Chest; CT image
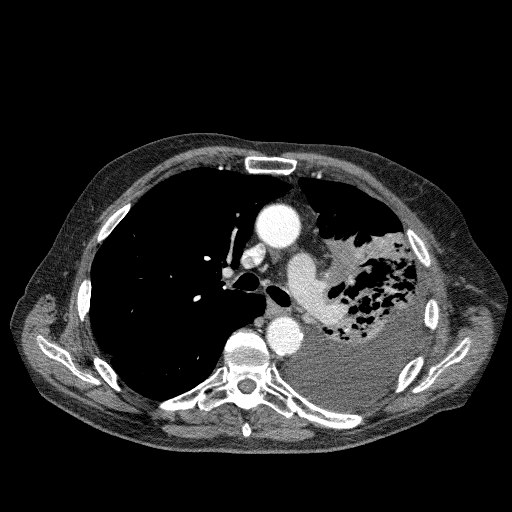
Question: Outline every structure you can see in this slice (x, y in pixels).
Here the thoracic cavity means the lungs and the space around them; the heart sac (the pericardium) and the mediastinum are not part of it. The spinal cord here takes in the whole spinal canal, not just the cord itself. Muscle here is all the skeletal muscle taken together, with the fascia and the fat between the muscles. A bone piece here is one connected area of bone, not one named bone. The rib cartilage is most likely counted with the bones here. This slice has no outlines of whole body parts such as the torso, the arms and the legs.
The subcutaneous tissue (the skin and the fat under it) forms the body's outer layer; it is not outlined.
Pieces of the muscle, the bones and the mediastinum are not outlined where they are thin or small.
Answer: Outlines (x, y in pixels):
spinal cord: [[245,379],[250,379],[251,380],[252,380],[255,383],[255,387],[250,392],[249,392],[248,393],[245,393],[244,392],[243,392],[239,388],[239,383],[240,382],[240,381],[241,381],[242,380],[244,380]]
muscle: [[208,145],[265,154],[247,154],[242,160],[246,172],[220,164],[172,174],[135,203],[128,201],[117,208],[96,236],[100,245],[89,276],[77,288],[75,303],[81,322],[88,315],[94,339],[105,356],[94,354],[93,367],[111,388],[121,392],[120,381],[157,401],[156,407],[164,412],[195,406],[208,412],[224,403],[248,411],[263,404],[288,419],[295,413],[326,428],[348,430],[365,422],[360,412],[392,385],[398,394],[418,375],[425,361],[421,353],[413,357],[420,323],[422,320],[433,331],[440,315],[434,297],[427,299],[424,309],[422,303],[419,265],[431,265],[424,241],[411,227],[404,232],[387,205],[356,185],[320,170],[294,172],[298,160],[280,156],[285,152],[314,152],[352,162],[416,214],[438,243],[434,254],[446,276],[453,329],[464,323],[462,312],[469,306],[483,305],[492,314],[493,340],[478,370],[460,388],[420,410],[345,437],[321,433],[292,442],[169,435],[158,427],[106,414],[46,381],[22,348],[21,331],[28,312],[40,296],[49,293],[63,314],[78,264],[101,213],[156,165]] with holes at [[39,334],[42,335],[50,342],[53,342],[66,350],[69,353],[75,366],[79,370],[82,372],[90,374],[95,378],[98,379],[100,381],[100,383],[98,385],[96,385],[79,378],[61,362],[47,356],[41,350],[36,341],[36,337],[37,335]] and at [[465,337],[469,337],[471,341],[470,342],[470,345],[468,351],[461,360],[455,362],[445,368],[427,388],[424,389],[422,391],[416,393],[413,393],[411,390],[414,387],[417,386],[427,377],[430,368],[433,365],[438,363],[448,354],[449,354]] and at [[245,421],[246,421],[247,422],[248,422],[248,423],[249,424],[249,425],[250,426],[250,427],[251,428],[251,432],[250,433],[250,434],[249,435],[249,436],[248,436],[247,437],[245,437],[243,435],[243,434],[242,433],[242,425],[243,424],[243,423]]
thoracic cavity 1: [[220,165],[243,173],[269,175],[291,186],[257,212],[235,271],[237,288],[262,296],[263,309],[251,322],[230,334],[222,349],[221,363],[204,380],[170,398],[160,401],[150,399],[120,380],[95,339],[88,314],[92,264],[103,241],[151,188],[184,170]]
thoracic cavity 2: [[301,177],[346,182],[383,203],[399,220],[419,264],[423,316],[412,358],[383,395],[355,413],[332,411],[309,401],[282,378],[278,368],[299,346],[304,325],[319,313],[326,290],[325,278],[332,260],[330,250],[320,235],[317,224],[319,213],[298,183]]
mediastinum: [[319,171],[335,179],[301,176],[297,183],[318,213],[319,235],[330,253],[325,290],[318,313],[303,325],[298,346],[278,366],[264,339],[251,329],[240,328],[263,312],[265,300],[262,295],[239,289],[236,271],[258,212],[292,187],[270,175],[316,174]]
bones 1: [[239,329],[251,330],[263,339],[281,378],[298,394],[325,410],[363,414],[364,422],[348,429],[330,428],[295,412],[285,417],[263,403],[248,410],[232,402],[224,402],[208,411],[197,405],[173,411],[158,408],[159,402],[204,381],[222,363],[226,341]], around a hole outlined by [[245,379],[250,379],[251,380],[252,380],[255,383],[255,387],[250,392],[249,392],[248,393],[245,393],[244,392],[243,392],[239,388],[239,383],[240,382],[240,381],[241,381],[242,380],[244,380]]
bones 2: [[247,155],[256,155],[257,156],[279,156],[280,157],[284,157],[285,158],[295,159],[297,160],[297,166],[296,167],[296,169],[293,172],[289,174],[287,174],[286,175],[284,174],[270,174],[269,173],[248,173],[245,170],[244,166],[243,165],[243,160]]
bones 3: [[39,334],[42,335],[50,342],[53,342],[66,350],[69,353],[75,366],[79,370],[82,372],[90,374],[95,378],[98,379],[100,381],[100,383],[98,385],[96,385],[79,378],[61,362],[47,356],[41,350],[36,341],[36,337],[37,335]]
bones 4: [[465,337],[469,337],[471,341],[470,342],[470,345],[468,351],[461,360],[455,362],[445,368],[427,388],[424,389],[422,391],[416,393],[413,393],[411,390],[414,387],[417,386],[427,377],[430,368],[433,365],[438,363],[448,354],[449,354]]
bones 5: [[421,354],[424,356],[424,361],[423,362],[423,364],[419,372],[414,378],[414,379],[402,391],[398,393],[396,393],[394,391],[394,389],[395,388],[395,386],[396,385],[396,381],[397,380],[397,378],[399,374],[404,368],[404,367],[413,358]]
bones 6: [[94,355],[97,355],[101,358],[104,359],[117,374],[119,378],[118,382],[122,389],[121,391],[119,392],[115,390],[112,387],[111,387],[111,386],[109,385],[107,383],[107,382],[105,381],[101,377],[97,370],[94,367],[94,365],[92,361],[92,358]]
bones 7: [[128,202],[130,202],[132,204],[129,210],[117,224],[117,225],[112,230],[112,231],[107,236],[107,237],[106,237],[101,243],[98,243],[96,241],[96,240],[97,239],[97,236],[99,233],[99,231],[101,227],[107,220],[109,216],[111,215],[117,209]]
bones 8: [[408,228],[411,228],[414,231],[414,232],[423,241],[427,249],[427,251],[429,255],[429,258],[430,259],[430,265],[428,267],[426,267],[424,266],[418,261],[412,249],[410,247],[409,242],[405,234],[405,232]]
bones 9: [[88,277],[89,277],[90,281],[91,282],[90,298],[89,299],[89,311],[87,314],[87,316],[85,318],[85,320],[84,321],[81,321],[80,320],[80,318],[78,314],[77,304],[76,303],[76,301],[77,300],[77,292],[78,291],[78,288],[82,280]]
bones 10: [[430,298],[434,298],[436,300],[438,305],[438,308],[439,309],[439,311],[438,312],[438,314],[439,315],[437,320],[437,324],[436,325],[436,327],[433,330],[431,330],[429,328],[426,327],[423,323],[423,317],[424,316],[425,305],[428,299]]